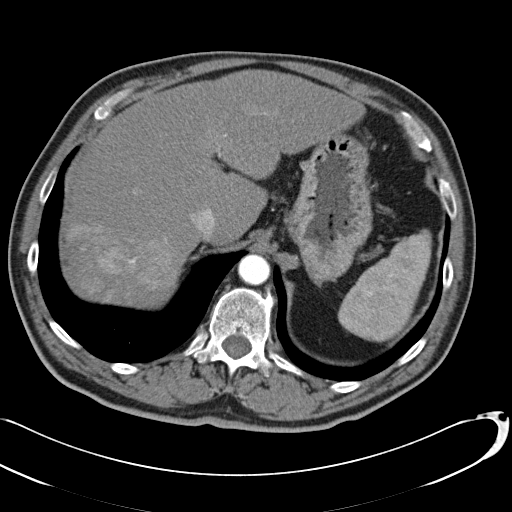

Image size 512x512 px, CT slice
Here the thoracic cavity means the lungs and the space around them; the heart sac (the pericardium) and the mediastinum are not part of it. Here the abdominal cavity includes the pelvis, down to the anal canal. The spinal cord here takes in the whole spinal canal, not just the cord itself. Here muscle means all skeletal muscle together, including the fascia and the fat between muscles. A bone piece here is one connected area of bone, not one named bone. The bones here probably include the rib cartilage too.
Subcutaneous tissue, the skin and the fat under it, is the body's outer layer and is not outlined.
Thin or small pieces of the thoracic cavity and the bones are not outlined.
Outlines:
spinal cord: (231, 335) (239, 335) (240, 336) (242, 336) (246, 338) (250, 344) (250, 349) (249, 351) (247, 353) (244, 354) (242, 356) (240, 357) (238, 357) (237, 358) (234, 358) (230, 356) (223, 348) (223, 346) (222, 345) (223, 344) (223, 342) (224, 340) (226, 338) (227, 338)
thoracic cavity 1: (76, 146) (78, 149) (63, 174) (56, 246) (60, 274) (79, 300) (93, 305) (157, 313) (170, 304) (193, 268) (202, 260) (246, 252) (215, 289) (208, 320) (197, 328) (184, 347) (145, 362) (108, 361) (88, 351) (52, 317) (39, 283) (38, 236) (44, 205) (59, 169)
thoracic cavity 2: (447, 215) (449, 239) (442, 263) (438, 305) (424, 333) (393, 363) (363, 379) (333, 380) (309, 373) (286, 357) (275, 330) (278, 302) (273, 277) (275, 266) (285, 291) (285, 330) (291, 343) (304, 355) (324, 365) (338, 368) (363, 366) (401, 341) (432, 303) (438, 284)
muscle 1: (230, 57) (244, 57) (245, 58) (257, 58) (270, 60) (291, 60) (299, 62) (310, 62) (315, 65) (330, 67) (336, 70) (339, 70) (344, 73) (366, 81) (383, 90) (402, 103) (408, 109) (413, 111) (436, 135) (454, 174) (461, 196) (463, 208) (464, 250) (463, 251) (463, 268) (462, 269) (462, 279) (460, 284) (460, 293) (456, 300) (453, 311) (448, 318) (448, 322) (444, 328) (439, 343) (433, 353) (430, 361) (421, 371) (413, 377) (391, 389) (376, 395) (361, 403) (315, 418) (300, 419) (299, 420) (274, 420) (264, 418) (242, 405) (231, 395) (227, 394) (220, 395) (210, 400) (188, 404) (183, 407) (160, 407) (139, 401) (130, 397) (127, 397) (110, 389) (108, 387) (103, 386) (95, 381) (88, 381) (82, 377) (71, 374) (64, 367) (60, 365) (60, 363) (49, 351) (40, 337) (35, 327) (35, 324) (31, 315) (29, 304) (24, 292) (24, 287) (19, 266) (19, 245) (27, 206) (35, 186) (46, 165) (80, 116) (98, 98) (106, 94) (117, 86) (129, 80) (140, 77) (157, 75) (170, 70) (187, 67) (190, 65) (206, 60) (210, 60) (215, 58) (229, 58), around a hole outlined by (256, 63) (278, 65) (315, 78) (401, 124) (399, 111) (408, 112) (431, 142) (431, 151) (423, 153) (433, 173) (449, 182) (455, 196) (457, 211) (450, 221) (446, 253) (453, 277) (441, 292) (422, 335) (426, 343) (408, 362) (392, 363) (345, 393) (329, 387) (335, 381) (332, 379) (306, 371) (300, 376) (275, 364) (268, 376) (248, 366) (238, 367) (230, 376) (224, 362) (199, 363) (191, 354) (183, 355) (183, 347) (134, 362) (138, 367) (135, 373) (115, 372) (110, 361) (83, 346) (66, 344) (55, 334) (48, 323) (52, 316) (38, 273) (32, 275) (27, 267) (28, 250) (38, 238) (44, 209) (39, 201) (41, 187) (49, 172) (59, 168) (102, 122) (93, 118) (99, 105) (119, 90) (132, 88) (113, 112) (149, 91)
muscle 2: (274, 326) (274, 330) (275, 331) (276, 338) (281, 346) (281, 348) (283, 351) (283, 353) (285, 357) (276, 351) (273, 350) (271, 348) (269, 348) (266, 351) (266, 345) (267, 344) (267, 342) (268, 341) (271, 345) (273, 344) (273, 341) (272, 340) (272, 329)
torso: (210, 50) (312, 55) (377, 72) (426, 100) (453, 137) (476, 224) (469, 302) (439, 366) (421, 383) (361, 418) (327, 429) (273, 433) (210, 424) (180, 425) (136, 416) (105, 406) (56, 379) (26, 333) (8, 276) (9, 230) (22, 184) (61, 118) (80, 94) (113, 71)
abdominal cavity: (256, 63) (315, 78) (393, 116) (423, 150) (437, 178) (432, 179) (447, 214) (435, 293) (409, 332) (363, 365) (324, 364) (292, 343) (280, 270) (262, 251) (202, 259) (157, 312) (88, 303) (72, 293) (61, 274) (57, 236) (64, 174) (78, 145) (112, 112) (142, 94)
bones 1: (235, 287) (270, 293) (272, 344) (268, 340) (265, 351) (271, 349) (286, 358) (305, 372) (303, 376) (275, 364) (269, 369) (268, 376) (258, 368) (248, 366) (238, 367) (230, 376) (226, 364) (220, 360) (199, 363) (191, 354) (183, 355) (198, 328) (209, 320) (220, 296) with a hole at (231, 335) (239, 335) (240, 336) (242, 336) (246, 338) (250, 344) (250, 349) (249, 351) (247, 353) (244, 354) (242, 356) (240, 357) (238, 357) (237, 358) (234, 358) (230, 356) (223, 348) (223, 346) (222, 345) (223, 344) (223, 342) (224, 340) (226, 338) (227, 338)
bones 2: (400, 110) (404, 110) (408, 112) (422, 128) (423, 131) (429, 138) (431, 142) (431, 146) (432, 147) (432, 149) (430, 152) (428, 152) (418, 147) (414, 142) (414, 140) (408, 134) (406, 131) (406, 129) (403, 125) (403, 120) (402, 119) (402, 117) (399, 113) (399, 111)
bones 3: (127, 88) (132, 88) (133, 89) (132, 91) (126, 97) (122, 99) (112, 108) (111, 113) (107, 117) (106, 117) (102, 120) (95, 120) (93, 118) (93, 113) (94, 112) (94, 110) (108, 97) (109, 97) (114, 93) (117, 92) (119, 90) (121, 90) (122, 89) (126, 89)
bones 4: (439, 177) (443, 177) (449, 182) (450, 184) (450, 186) (455, 196) (457, 211) (456, 212) (456, 216) (453, 220) (450, 220) (450, 218) (446, 210) (444, 208) (444, 206) (442, 202) (442, 199) (440, 196) (440, 192) (439, 191) (439, 181) (437, 180) (437, 179)
bones 5: (54, 167) (59, 168) (57, 172) (57, 175) (56, 176) (56, 178) (55, 179) (54, 184) (50, 191) (50, 193) (45, 203) (43, 205) (41, 204) (41, 203) (39, 201) (39, 193) (40, 192) (41, 187) (45, 179) (47, 177) (49, 172)
bones 6: (50, 318) (53, 318) (53, 319) (55, 320) (55, 321) (57, 322) (57, 323) (59, 324) (59, 325) (72, 338) (73, 338) (82, 346) (80, 348) (75, 348) (63, 342) (55, 334) (55, 333) (50, 327) (48, 323) (48, 319)
bones 7: (422, 336) (424, 336) (426, 338) (426, 343) (424, 345) (424, 346) (422, 348) (422, 349) (412, 359) (411, 359) (408, 362) (407, 362) (406, 363) (405, 363) (404, 364) (402, 364) (401, 365) (394, 365) (394, 363) (402, 355) (403, 355)
bones 8: (35, 239) (37, 239) (37, 240) (38, 241) (38, 257) (37, 258) (37, 272) (35, 274) (32, 275) (28, 270) (28, 268) (27, 267) (27, 254) (28, 253) (28, 250) (29, 249) (29, 247) (30, 246) (30, 245) (31, 244) (32, 241)
bones 9: (358, 380) (361, 380) (361, 381) (362, 382) (361, 385) (360, 386) (359, 386) (357, 388) (356, 388) (351, 391) (349, 391) (348, 392) (346, 392) (345, 393) (339, 393) (338, 392) (335, 392) (334, 391) (333, 391) (329, 387) (329, 386) (335, 381) (357, 381)
bones 10: (447, 255) (450, 258) (450, 260) (452, 264) (452, 267) (453, 268) (453, 277) (452, 278) (452, 281) (451, 282) (451, 284) (450, 286) (445, 291) (442, 291) (442, 288) (443, 287) (443, 285) (442, 284) (442, 278) (443, 277) (443, 263)
bones 11: (111, 362) (121, 362) (122, 363) (128, 363) (129, 364) (133, 364) (137, 367) (138, 367) (138, 371) (135, 373) (132, 373) (131, 374) (122, 374) (121, 373) (118, 373) (117, 372) (115, 372) (111, 369) (111, 368) (110, 367) (110, 363)
mediastinum: (255, 251) (264, 253) (271, 259) (273, 263) (272, 277) (277, 302) (274, 325) (272, 328) (271, 328) (272, 313) (274, 304) (272, 295) (269, 291) (262, 292) (251, 287) (235, 286) (222, 293) (213, 304) (212, 311) (210, 311) (211, 301) (214, 293) (226, 274) (247, 252)